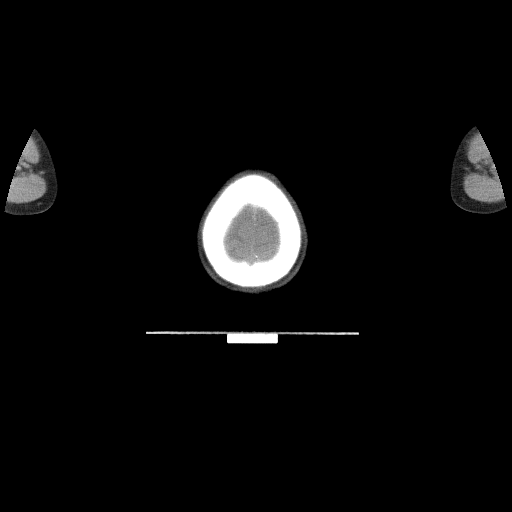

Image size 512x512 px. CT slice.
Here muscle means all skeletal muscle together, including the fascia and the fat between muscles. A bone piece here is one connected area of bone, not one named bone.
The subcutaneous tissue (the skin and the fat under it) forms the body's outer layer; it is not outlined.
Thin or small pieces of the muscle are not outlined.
Outlines (x, y in pixels):
bones: 248 172; 259 172; 273 180; 284 190; 296 211; 302 231; 301 248; 298 258; 293 267; 284 277; 278 281; 261 287; 241 287; 231 284; 219 277; 215 273; 207 261; 201 245; 200 225; 202 219; 211 202; 225 184; 235 177; 240 176 with a hole at 246 206; 250 206; 255 209; 261 209; 263 210; 275 222; 277 234; 278 235; 278 243; 274 253; 269 258; 266 259; 256 259; 251 262; 245 259; 236 259; 232 257; 229 254; 226 248; 225 240; 229 229; 233 222; 233 220
head: 247 167; 263 168; 275 173; 279 177; 299 205; 309 235; 309 245; 307 255; 298 274; 285 287; 274 292; 261 295; 244 295; 234 293; 216 285; 206 275; 200 264; 196 251; 196 231; 198 222; 204 208; 212 196; 228 177; 238 170
brain: 246 206; 250 206; 255 209; 261 209; 263 210; 275 222; 277 234; 278 235; 278 243; 274 253; 269 258; 266 259; 256 259; 251 262; 245 259; 236 259; 232 257; 229 254; 226 248; 225 240; 229 229; 233 222; 233 220
right arm: 34 129; 37 129; 41 133; 51 152; 58 179; 57 196; 51 207; 43 212; 31 215; 12 215; 5 212; 6 202; 8 200; 8 196; 10 194; 10 190; 12 187; 14 173; 19 160; 22 154; 24 153; 24 150; 26 148; 28 140
muscle 1: 477 132; 479 132; 481 139; 491 157; 495 171; 497 174; 499 185; 504 198; 503 200; 496 203; 490 204; 482 203; 469 198; 464 192; 461 184; 462 182; 462 169; 463 168; 462 162; 465 156; 465 147; 467 140; 473 134
muscle 2: 31 134; 37 139; 37 142; 44 156; 44 163; 46 169; 47 190; 43 196; 32 202; 22 204; 14 204; 8 201; 8 196; 10 194; 10 190; 12 187; 14 173; 18 165; 19 160; 22 154; 24 153; 24 150; 26 148
muscle 3: 285 190; 295 203; 295 205; 299 211; 299 213; 301 217; 301 220; 302 221; 302 223; 305 230; 305 246; 303 250; 303 253; 295 269; 291 275; 290 275; 289 277; 288 277; 285 280; 279 283; 277 283; 274 285; 271 285; 264 288; 261 288; 260 289; 244 289; 243 288; 240 288; 239 287; 235 286; 237 286; 241 288; 261 288; 262 287; 265 287; 266 286; 271 285; 274 283; 278 282; 284 278; 291 271; 291 270; 296 264; 299 258; 299 256; 301 252; 301 249; 302 248; 302 243; 303 242; 303 231; 302 230; 301 222; 300 221; 299 216; 297 213; 297 211; 292 201; 290 199; 289 196
muscle 4: 199 232; 199 235; 200 236; 200 245; 202 249; 203 255; 206 261; 208 263; 214 273; 219 278; 226 282; 224 282; 214 276; 208 268; 208 266; 206 263; 206 261; 204 259; 204 257; 200 249; 200 243; 199 242
muscle 5: 260 172; 266 172; 267 173; 269 173; 270 174; 271 174; 273 176; 274 176; 275 177; 275 178; 279 182; 279 183; 283 187; 283 188; 280 185; 279 185; 273 179; 272 179; 267 175; 266 175; 265 174; 264 174; 263 173
left arm: 472 125; 474 125; 477 128; 481 136; 481 139; 491 157; 495 171; 497 174; 499 185; 505 200; 506 208; 504 210; 496 213; 479 214; 466 211; 457 206; 453 202; 450 196; 449 179; 450 178; 450 169; 452 158; 458 142; 462 135